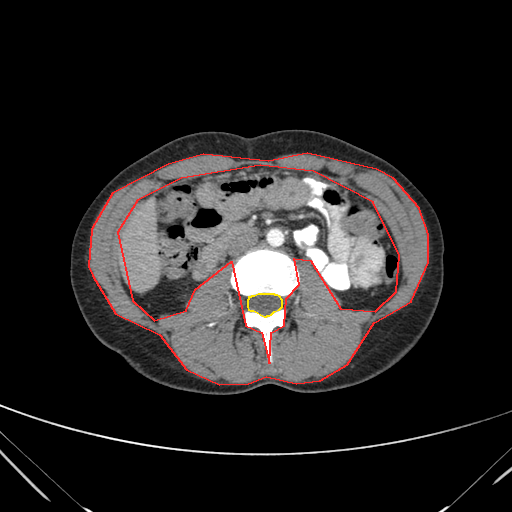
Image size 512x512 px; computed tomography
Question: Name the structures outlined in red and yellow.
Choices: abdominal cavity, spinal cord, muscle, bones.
Answer: red: muscle; yellow: spinal cord.
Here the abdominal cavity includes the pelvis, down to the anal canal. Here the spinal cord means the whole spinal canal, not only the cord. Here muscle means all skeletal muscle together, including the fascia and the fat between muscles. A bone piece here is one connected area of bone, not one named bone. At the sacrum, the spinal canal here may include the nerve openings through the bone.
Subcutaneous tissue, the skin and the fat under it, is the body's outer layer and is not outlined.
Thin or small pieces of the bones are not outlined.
{"muscle":[{"outer":[[219,384],[248,383],[266,376],[296,383],[320,380],[347,364],[374,322],[411,301],[428,262],[428,234],[419,208],[393,178],[376,169],[307,153],[268,161],[203,154],[168,164],[112,193],[91,229],[88,266],[92,275],[115,313],[159,334],[186,369]],"hole":[[269,363],[271,332],[284,325],[286,298],[299,284],[294,258],[310,260],[340,308],[375,311],[396,291],[399,255],[373,202],[313,171],[260,165],[181,178],[137,200],[117,232],[132,300],[154,320],[186,310],[195,289],[231,261],[245,325],[261,332]]}],"spinal_cord":[[[264,316],[266,316],[267,315],[269,315],[271,314],[274,311],[279,309],[282,306],[282,300],[279,296],[277,295],[275,295],[274,294],[258,294],[254,296],[251,296],[250,297],[248,297],[248,299],[247,300],[247,307],[248,309],[250,310],[253,310]]],"abdominal_cavity":[[[154,320],[162,312],[186,310],[189,296],[216,268],[233,263],[252,247],[279,249],[293,258],[309,259],[340,298],[340,308],[377,310],[401,282],[401,263],[390,229],[373,202],[327,176],[244,165],[181,178],[137,200],[118,225],[120,279],[132,300]]],"bones":[{"outer":[[269,363],[273,361],[271,332],[275,327],[281,327],[285,323],[287,313],[286,298],[299,284],[299,271],[293,259],[283,251],[268,248],[252,248],[234,260],[230,273],[230,283],[232,288],[246,299],[243,310],[245,325],[249,328],[255,327],[261,332]],"hole":[[264,316],[266,316],[267,315],[269,315],[271,314],[274,311],[279,309],[282,306],[282,300],[279,296],[277,295],[275,295],[274,294],[258,294],[254,296],[251,296],[250,297],[248,297],[248,299],[247,300],[247,307],[248,309],[250,310],[253,310]]}],"torso":[[[218,395],[266,384],[308,393],[353,386],[386,371],[418,343],[441,296],[445,245],[433,207],[394,165],[315,130],[282,129],[252,137],[199,131],[168,141],[132,162],[92,200],[75,230],[69,269],[73,295],[85,323],[105,347],[144,377],[175,389]]]}